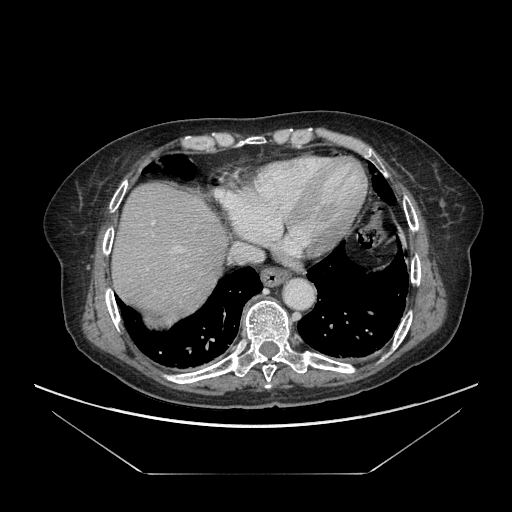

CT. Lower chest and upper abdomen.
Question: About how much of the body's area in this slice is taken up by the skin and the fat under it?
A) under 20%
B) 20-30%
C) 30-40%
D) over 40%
Answer: B) 20-30%
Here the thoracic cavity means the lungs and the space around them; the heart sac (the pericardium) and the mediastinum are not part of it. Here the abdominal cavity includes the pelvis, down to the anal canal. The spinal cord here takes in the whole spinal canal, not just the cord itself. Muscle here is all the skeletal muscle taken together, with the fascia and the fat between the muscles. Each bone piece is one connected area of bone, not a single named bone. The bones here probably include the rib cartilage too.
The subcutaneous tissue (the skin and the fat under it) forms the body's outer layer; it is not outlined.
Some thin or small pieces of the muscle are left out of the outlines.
{"torso":[[[315,109],[362,114],[410,131],[432,146],[479,194],[483,221],[470,248],[471,282],[451,341],[431,359],[375,389],[319,404],[260,410],[209,409],[160,401],[126,386],[80,352],[64,325],[60,264],[43,231],[45,209],[71,171],[108,142],[150,125]]],"abdominal_cavity":[[[146,176],[162,176],[194,182],[209,197],[233,234],[221,277],[205,302],[196,311],[176,322],[169,329],[162,331],[148,329],[142,323],[140,314],[132,307],[124,303],[114,292],[110,273],[109,257],[112,251],[118,213],[126,196],[135,182],[138,179]],[[376,194],[380,200],[389,205],[394,206],[398,202],[403,211],[409,236],[409,261],[408,264],[406,261],[405,253],[402,245],[397,239],[396,252],[387,266],[381,270],[369,271],[356,265],[348,258],[345,250],[344,238],[365,202],[370,196],[375,196]]],"thoracic_cavity":[[[397,240],[405,261],[408,265],[409,262],[409,287],[404,312],[392,338],[373,354],[355,359],[338,358],[307,345],[298,332],[297,324],[315,307],[319,299],[315,284],[307,277],[309,268],[343,241],[345,254],[353,264],[365,271],[381,271],[396,254]],[[247,266],[251,267],[259,276],[262,289],[245,303],[239,333],[231,346],[222,356],[209,364],[193,369],[162,366],[146,356],[137,347],[122,323],[115,294],[124,304],[139,314],[141,323],[148,330],[167,331],[176,323],[196,312],[206,302],[223,276]],[[173,153],[182,153],[186,155],[188,159],[193,164],[194,164],[196,168],[196,174],[195,177],[193,179],[191,180],[184,180],[175,177],[163,176],[162,175],[146,175],[138,178],[141,175],[142,170],[152,161],[156,160],[163,155],[172,154]],[[368,161],[373,164],[373,165],[383,176],[383,177],[387,180],[397,200],[396,203],[394,205],[389,204],[385,201],[383,201],[380,199],[380,198],[374,191],[372,186],[372,183],[371,182],[371,175],[372,174],[370,172],[367,164],[368,163]]],"muscle":[[[179,137],[178,145],[184,150],[209,153],[217,147],[232,148],[214,153],[163,154],[141,170],[126,195],[129,178],[125,176],[107,206],[108,212],[113,214],[121,204],[115,231],[109,224],[101,243],[102,253],[109,259],[112,285],[112,288],[107,286],[104,289],[104,301],[115,329],[119,333],[122,324],[136,347],[162,367],[199,368],[186,372],[164,371],[160,374],[164,379],[176,384],[189,384],[229,372],[241,378],[260,364],[265,380],[263,387],[270,389],[278,363],[288,365],[299,374],[305,373],[309,366],[353,374],[357,368],[352,363],[329,356],[354,360],[369,357],[391,340],[387,350],[376,361],[380,364],[398,348],[413,320],[413,309],[410,307],[405,312],[410,285],[418,287],[421,282],[421,259],[417,251],[410,258],[408,231],[417,232],[419,221],[405,192],[400,205],[388,181],[391,175],[372,148],[405,183],[424,218],[446,292],[447,310],[442,325],[376,373],[353,382],[259,392],[239,390],[223,395],[205,395],[168,387],[98,348],[85,337],[81,318],[103,209],[113,189],[141,155]],[[295,321],[297,321],[297,323],[296,324],[296,329],[297,330],[297,332],[299,336],[302,339],[302,340],[306,344],[307,346],[315,350],[312,350],[307,347],[303,349],[298,349],[292,346],[292,344],[290,341],[290,338],[291,337],[291,322],[294,322]],[[244,309],[245,310],[244,312],[244,317],[243,318],[243,327],[245,331],[244,333],[244,335],[240,337],[237,343],[233,347],[232,350],[229,353],[228,353],[225,356],[224,356],[219,360],[212,363],[216,360],[222,357],[225,354],[225,353],[232,346],[232,345],[238,337],[240,333],[240,330],[241,329],[241,324],[242,323],[242,316],[244,314]],[[282,128],[285,128],[283,128],[282,129],[280,129],[273,133],[272,135],[272,140],[274,142],[274,143],[268,143],[268,140],[265,136],[261,134],[258,134],[260,134],[264,132],[267,132],[268,131],[274,131],[275,130],[277,130],[278,129],[281,129]],[[321,127],[324,127],[325,128],[328,128],[329,129],[332,129],[333,130],[336,130],[337,131],[340,131],[341,132],[344,132],[345,133],[348,133],[349,134],[350,134],[351,135],[352,135],[355,137],[357,137],[358,138],[359,138],[360,139],[361,139],[362,140],[363,140],[364,141],[365,141],[369,145],[370,145],[371,146],[371,147],[370,146],[368,146],[367,145],[366,145],[366,144],[365,143],[364,143],[361,140],[360,140],[359,139],[358,139],[357,138],[356,138],[355,137],[354,137],[351,135],[348,135],[347,134],[345,134],[344,133],[340,133],[339,132],[337,132],[336,131],[333,131],[332,130],[329,130],[328,129],[325,129],[324,128],[322,128]]],"mediastinum":[[[234,237],[239,242],[266,250],[274,261],[296,273],[307,270],[306,277],[314,284],[317,292],[318,299],[314,307],[294,321],[290,320],[287,310],[275,299],[261,298],[245,309],[246,303],[262,291],[263,284],[258,273],[249,265],[234,269],[222,276]],[[266,144],[289,149],[337,146],[352,150],[367,160],[375,195],[370,195],[370,175],[364,162],[352,153],[334,149],[252,156],[227,163],[214,169],[208,176],[207,194],[192,180],[196,177],[197,168],[185,154],[214,154],[246,145]]],"bones":[{"outer":[[261,299],[275,300],[286,310],[293,348],[307,348],[350,363],[355,372],[309,365],[305,372],[299,373],[278,362],[270,388],[264,387],[266,380],[260,363],[241,377],[229,371],[176,383],[162,376],[164,372],[196,371],[229,354],[245,335],[247,308]],"hole":[[265,342],[272,342],[273,343],[274,343],[277,346],[277,347],[278,348],[278,350],[277,351],[277,352],[275,354],[274,354],[270,357],[268,357],[264,354],[263,354],[261,352],[260,352],[260,347],[261,346],[261,345]]},[[308,127],[320,127],[325,130],[351,136],[361,141],[373,150],[384,165],[390,177],[387,179],[385,178],[373,163],[354,150],[330,143],[324,139],[315,138],[310,142],[301,145],[289,142],[282,144],[275,143],[273,135],[280,130],[286,128],[297,130]],[[212,132],[228,133],[236,141],[245,139],[251,135],[261,135],[266,138],[267,143],[265,144],[246,144],[240,147],[217,146],[214,150],[209,152],[191,149],[184,149],[179,145],[179,140],[182,137],[186,135],[207,135],[209,136]],[[410,308],[412,309],[413,311],[412,320],[405,337],[401,343],[397,347],[397,348],[389,356],[388,356],[380,363],[377,363],[377,361],[381,355],[388,350],[390,346],[390,344],[392,341],[393,335],[397,329],[404,313],[405,313]],[[404,193],[405,193],[409,197],[414,207],[414,209],[415,210],[415,212],[417,216],[417,220],[418,221],[418,230],[415,232],[412,232],[409,230],[408,228],[408,226],[407,225],[406,218],[404,214],[404,211],[402,208],[402,197]],[[107,287],[110,287],[113,290],[115,302],[117,305],[117,307],[119,311],[119,314],[121,318],[121,325],[120,326],[120,331],[119,332],[115,327],[115,325],[108,311],[107,305],[105,301],[105,289]],[[125,177],[127,177],[128,178],[128,188],[117,210],[113,213],[110,213],[109,212],[109,209],[108,208],[108,206],[109,205],[110,200],[114,192],[116,190],[116,189],[118,187],[118,186],[120,184],[122,180]],[[415,252],[417,252],[418,253],[418,255],[419,256],[419,258],[420,259],[420,268],[421,269],[421,275],[420,276],[420,282],[419,283],[419,285],[418,286],[413,286],[410,284],[410,277],[409,276],[409,273],[410,272],[410,259],[412,257],[413,254]],[[109,225],[112,225],[113,226],[113,230],[114,231],[113,232],[113,240],[111,244],[111,251],[109,255],[108,256],[106,256],[104,255],[103,253],[103,250],[102,249],[102,243],[103,242],[103,236],[104,235],[105,230],[106,228]]],"spinal_cord":[[[265,342],[272,342],[273,343],[274,343],[277,346],[277,347],[278,348],[278,350],[277,351],[277,352],[275,354],[274,354],[270,357],[268,357],[264,354],[263,354],[261,352],[260,352],[260,347],[261,346],[261,345]]],"pericardium":[[[314,150],[342,151],[357,157],[363,162],[369,175],[370,191],[369,196],[362,205],[343,240],[325,256],[312,264],[308,269],[302,272],[296,272],[274,260],[266,249],[237,240],[231,228],[208,196],[208,180],[209,176],[214,170],[227,164],[244,159]]]}